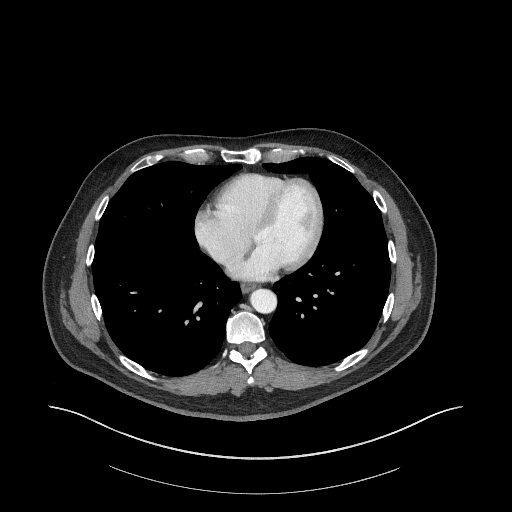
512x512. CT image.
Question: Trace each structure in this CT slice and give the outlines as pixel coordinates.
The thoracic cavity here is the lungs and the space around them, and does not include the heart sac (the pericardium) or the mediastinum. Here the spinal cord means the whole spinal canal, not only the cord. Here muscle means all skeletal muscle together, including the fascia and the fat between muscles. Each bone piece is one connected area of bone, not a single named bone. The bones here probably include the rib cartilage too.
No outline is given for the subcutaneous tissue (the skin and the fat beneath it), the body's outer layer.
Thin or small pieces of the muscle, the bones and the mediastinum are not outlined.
Answer: Outlined structures:
thoracic cavity 1: (169, 376) (181, 376) (203, 368) (213, 362) (225, 345) (225, 321) (240, 298) (240, 288) (199, 249) (194, 220) (209, 190) (238, 169) (238, 163) (197, 165) (183, 161) (162, 161) (139, 170) (131, 174) (110, 199) (99, 221) (91, 269) (106, 329) (122, 353) (149, 371)
thoracic cavity 2: (311, 366) (339, 362) (365, 345) (381, 317) (390, 279) (387, 238) (381, 213) (371, 194) (353, 174) (315, 156) (263, 165) (270, 171) (280, 173) (307, 172) (323, 205) (324, 229) (316, 251) (303, 266) (274, 283) (273, 290) (278, 302) (265, 328) (268, 338) (286, 357)
mediastinum 1: (265, 327) (268, 325) (277, 302) (276, 296) (272, 290) (273, 283) (260, 283) (247, 280) (239, 280) (231, 275) (224, 267) (217, 263) (218, 266) (230, 279) (236, 280) (239, 283) (241, 288) (241, 298) (238, 303) (231, 309) (230, 315) (239, 310) (251, 311) (262, 320)
mediastinum 2: (312, 184) (307, 173) (280, 174) (266, 170) (262, 165) (264, 162) (269, 162) (260, 162) (254, 165) (247, 165) (239, 163) (241, 165) (240, 168) (230, 174) (226, 178) (241, 171) (259, 171) (260, 172) (269, 172) (275, 174) (298, 175) (303, 177)
spinal cord: (246, 357) (249, 357) (250, 354) (251, 353) (252, 353) (253, 352) (253, 351) (255, 349) (255, 345) (254, 344) (253, 344) (250, 342) (244, 342) (243, 343) (242, 343) (241, 344) (238, 345) (238, 346) (237, 347) (238, 350) (244, 356) (245, 356)
bones 1: (248, 384) (252, 384) (254, 381) (251, 375) (253, 367) (268, 353) (264, 345) (267, 337) (264, 325) (255, 314) (248, 311) (239, 311) (228, 317) (226, 321) (225, 326) (226, 345) (222, 350) (221, 357) (223, 358) (227, 356) (232, 361) (240, 363) (249, 374) (247, 379) with a hole at (246, 357) (249, 357) (250, 354) (251, 353) (252, 353) (253, 352) (253, 351) (255, 349) (255, 345) (254, 344) (253, 344) (250, 342) (244, 342) (243, 343) (242, 343) (241, 344) (238, 345) (238, 346) (237, 347) (238, 350) (244, 356) (245, 356)
bones 2: (247, 164) (254, 164) (255, 163) (259, 162) (262, 159) (263, 157) (263, 152) (260, 149) (256, 147) (249, 147) (243, 150) (232, 150) (231, 149) (228, 149) (227, 148) (222, 148) (219, 152) (220, 157) (222, 159) (222, 160) (225, 162) (242, 162) (243, 163) (246, 163)
bones 3: (271, 162) (282, 162) (283, 161) (287, 161) (288, 160) (293, 159) (297, 157) (298, 155) (301, 155) (303, 156) (306, 153) (306, 150) (304, 148) (300, 148) (299, 149) (283, 149) (279, 147) (277, 147) (276, 148) (272, 148) (265, 154) (266, 157) (269, 160) (269, 161)
bones 4: (197, 164) (203, 164) (209, 159) (209, 155) (208, 153) (206, 150) (203, 148) (201, 147) (198, 147) (197, 148) (193, 148) (192, 149) (185, 149) (179, 153) (179, 156) (181, 157) (182, 159) (184, 160) (184, 161) (186, 161) (190, 163) (196, 163)
bones 5: (150, 380) (156, 380) (156, 377) (153, 376) (141, 365) (138, 364) (136, 362) (133, 361) (131, 359) (130, 359) (128, 357) (127, 357) (125, 355) (121, 353) (117, 356) (120, 362) (128, 369)
bones 6: (336, 371) (340, 371) (341, 370) (343, 370) (344, 369) (351, 366) (353, 364) (354, 364) (356, 362) (357, 362) (359, 360) (360, 360) (363, 357) (364, 357) (365, 356) (365, 355) (369, 351) (369, 349) (365, 346) (361, 349) (348, 355) (334, 367) (334, 369)
bones 7: (131, 173) (139, 169) (141, 169) (142, 168) (144, 168) (145, 167) (150, 166) (160, 161) (164, 157) (164, 155) (160, 153) (157, 153) (154, 155) (147, 154) (143, 156) (141, 158) (140, 158) (131, 167) (130, 169) (130, 172)
bones 8: (352, 173) (354, 173) (355, 171) (353, 167) (350, 164) (344, 161) (336, 155) (334, 154) (330, 154) (329, 153) (328, 154) (324, 154) (322, 152) (319, 152) (318, 153) (318, 156) (320, 157) (324, 157) (328, 159) (330, 161) (341, 166) (343, 168) (346, 169) (348, 171)
bones 9: (384, 323) (386, 322) (386, 321) (388, 319) (390, 315) (390, 313) (391, 312) (392, 307) (393, 306) (393, 303) (394, 302) (394, 293) (393, 292) (389, 292) (387, 296) (387, 298) (385, 301) (385, 303) (384, 304) (383, 309) (382, 310) (382, 322)
bones 10: (383, 214) (384, 214) (387, 211) (387, 207) (386, 206) (385, 201) (384, 200) (382, 195) (379, 192) (379, 191) (376, 189) (373, 189) (372, 190) (372, 192) (371, 193) (372, 194) (373, 199) (374, 200) (376, 205) (378, 207) (378, 208) (380, 210) (380, 211)
bones 11: (98, 320) (100, 320) (102, 319) (102, 312) (101, 311) (101, 307) (100, 306) (99, 301) (96, 295) (94, 293) (94, 292) (93, 292) (91, 293) (91, 295) (90, 296) (90, 301) (91, 302) (91, 306) (94, 312) (94, 314) (96, 318)
bones 12: (97, 221) (98, 221) (100, 219) (102, 214) (104, 212) (107, 206) (108, 201) (110, 198) (109, 195) (107, 194) (103, 196) (103, 197) (101, 199) (96, 209) (96, 211) (94, 215) (94, 218) (95, 220)
bones 13: (392, 264) (393, 264) (394, 263) (395, 263) (395, 262) (396, 261) (396, 250) (395, 249) (395, 246) (394, 245) (394, 242) (393, 241) (393, 240) (392, 239) (388, 239) (388, 242) (387, 243) (387, 248) (388, 249) (388, 255) (389, 256) (389, 259) (390, 260) (390, 261)
bones 14: (88, 266) (90, 266) (91, 265) (91, 263) (92, 262) (92, 261) (93, 260) (93, 256) (94, 255) (94, 245) (93, 244) (93, 243) (91, 243) (88, 246) (88, 247) (87, 248) (87, 252) (86, 253) (86, 257) (85, 258) (85, 262) (86, 263) (86, 264)
muscle 1: (197, 397) (239, 396) (247, 387) (253, 386) (266, 391) (292, 392) (329, 383) (363, 366) (387, 346) (417, 307) (421, 298) (421, 263) (406, 224) (385, 188) (347, 159) (335, 154) (354, 167) (354, 175) (360, 183) (370, 193) (373, 188) (378, 189) (386, 201) (388, 211) (382, 214) (382, 218) (387, 237) (395, 242) (397, 261) (391, 264) (389, 291) (395, 293) (395, 302) (389, 319) (384, 324) (381, 318) (379, 320) (366, 344) (370, 349) (366, 356) (340, 372) (333, 369) (338, 363) (319, 367) (294, 363) (279, 352) (269, 339) (265, 343) (269, 353) (254, 367) (252, 375) (255, 381) (252, 385) (246, 383) (248, 374) (240, 364) (220, 355) (214, 361) (220, 362) (217, 368) (209, 369) (210, 364) (181, 377) (150, 372) (157, 377) (156, 381) (150, 381) (128, 370) (117, 359) (121, 351) (108, 335) (103, 320) (98, 321) (91, 309) (89, 296) (94, 291) (92, 274) (84, 258) (87, 246) (94, 242) (96, 236) (98, 222) (93, 215) (100, 199) (106, 193) (111, 197) (115, 193) (138, 159) (94, 201) (75, 240) (60, 290) (59, 305) (64, 326) (80, 344) (127, 377) (177, 395)
muscle 2: (206, 163) (220, 163) (221, 162) (224, 162) (221, 160) (218, 154) (219, 150) (222, 147) (224, 147) (220, 145) (214, 145) (213, 144) (193, 144) (186, 146) (180, 146) (173, 148) (161, 149) (147, 153) (150, 153) (151, 154) (154, 154) (157, 152) (163, 153) (165, 155) (165, 157) (162, 160) (183, 160) (178, 156) (178, 153) (179, 152) (185, 148) (192, 148) (193, 147) (201, 146) (206, 149) (210, 155) (210, 159) (206, 162)
muscle 3: (261, 161) (268, 161) (264, 154) (272, 147) (276, 147) (277, 146) (283, 148) (299, 148) (300, 147) (304, 147) (307, 150) (307, 153) (304, 156) (314, 156) (315, 155) (317, 156) (317, 153) (319, 151) (322, 151) (324, 153) (328, 153) (329, 152) (330, 153) (334, 153) (328, 150) (319, 147) (315, 147) (314, 146) (293, 145) (292, 144) (286, 144) (280, 142) (261, 142) (252, 146) (256, 146) (260, 148) (264, 152) (264, 157)
torso: (231, 421) (289, 415) (343, 394) (404, 360) (427, 332) (437, 271) (431, 227) (414, 196) (390, 166) (372, 150) (342, 133) (307, 127) (247, 136) (168, 133) (137, 138) (105, 156) (87, 174) (50, 243) (42, 275) (43, 307) (51, 340) (68, 365) (154, 406) (187, 416)
pericardium: (260, 282) (274, 282) (303, 265) (315, 251) (322, 233) (324, 220) (318, 192) (313, 184) (310, 184) (298, 176) (275, 175) (259, 172) (241, 172) (227, 179) (225, 178) (208, 194) (208, 197) (200, 207) (196, 216) (195, 234) (200, 249) (216, 262) (224, 266) (235, 277)